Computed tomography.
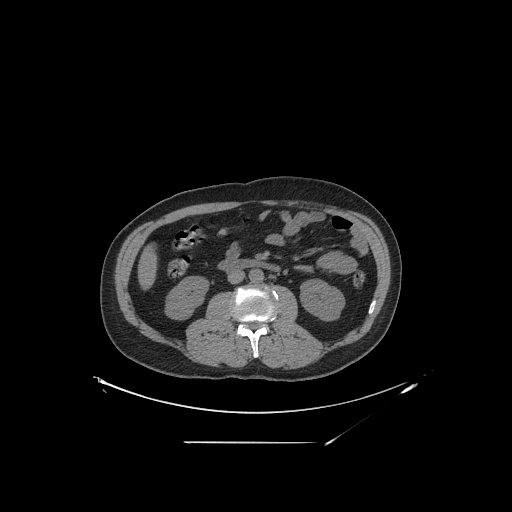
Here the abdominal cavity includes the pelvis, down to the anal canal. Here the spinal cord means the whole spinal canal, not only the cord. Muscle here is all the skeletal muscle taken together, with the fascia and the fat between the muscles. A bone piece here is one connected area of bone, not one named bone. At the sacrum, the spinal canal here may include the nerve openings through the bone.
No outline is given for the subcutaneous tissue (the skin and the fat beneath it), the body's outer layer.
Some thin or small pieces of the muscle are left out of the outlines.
Outlined structures:
torso: 280 175; 323 179; 347 187; 369 201; 389 223; 401 254; 401 289; 393 319; 381 341; 361 359; 333 374; 291 382; 233 377; 176 377; 151 370; 120 353; 105 331; 99 304; 103 259; 120 229; 144 209; 174 193; 217 183; 248 182
bones 1: 263 284; 273 288; 277 293; 277 311; 274 320; 267 323; 269 331; 266 334; 262 334; 258 339; 259 355; 255 358; 253 356; 253 351; 249 338; 247 336; 238 335; 236 333; 239 322; 232 315; 231 300; 237 287; 248 285; 260 286; inner edge: 252 321; 258 321; 259 322; 260 322; 261 323; 261 325; 258 328; 257 328; 256 329; 255 329; 254 330; 253 330; 252 329; 251 329; 250 328; 249 328; 248 327; 247 327; 246 326; 246 323; 247 322; 251 322
bones 2: 373 298; 374 298; 376 300; 376 303; 375 304; 375 306; 374 307; 374 309; 373 310; 373 311; 372 312; 372 313; 371 314; 369 314; 368 313; 368 308; 369 307; 369 305; 370 304; 370 302; 372 300; 372 299
muscle: 246 200; 305 200; 318 202; 361 213; 369 217; 378 226; 388 247; 391 274; 388 291; 383 305; 366 334; 352 343; 333 349; 311 364; 295 369; 284 369; 282 367; 272 368; 257 359; 254 359; 242 367; 230 367; 225 364; 215 367; 194 362; 179 350; 150 339; 140 333; 135 326; 124 318; 117 300; 114 273; 120 248; 127 236; 134 229; 145 222; 156 220; 167 213; 183 207; 210 202; inner edge: 274 206; 319 210; 351 222; 364 236; 376 266; 376 303; 360 325; 321 340; 296 321; 294 293; 274 284; 276 317; 259 337; 255 358; 249 338; 236 333; 233 291; 214 294; 184 338; 165 335; 138 315; 129 280; 154 230; 187 216
abdominal cavity: 274 206; 319 210; 351 222; 364 236; 375 261; 376 284; 360 325; 336 339; 321 340; 296 321; 294 293; 284 285; 265 283; 214 294; 204 316; 185 328; 184 338; 165 335; 138 315; 129 280; 136 256; 154 230; 187 216
spinal cord: 252 321; 258 321; 259 322; 260 322; 261 323; 261 325; 258 328; 257 328; 256 329; 255 329; 254 330; 253 330; 252 329; 251 329; 250 328; 249 328; 248 327; 247 327; 246 326; 246 323; 247 322; 251 322